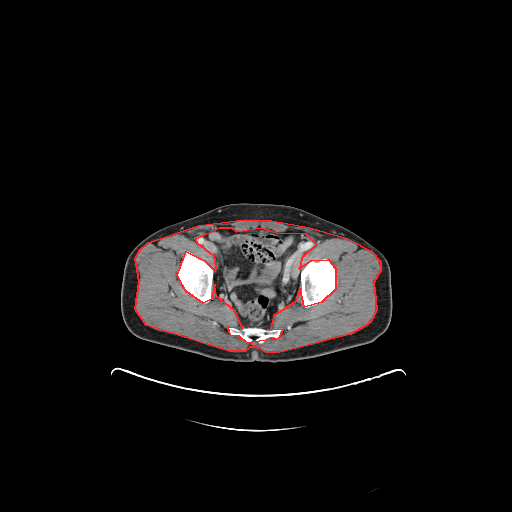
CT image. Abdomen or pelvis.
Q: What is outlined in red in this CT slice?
A: red: muscle.
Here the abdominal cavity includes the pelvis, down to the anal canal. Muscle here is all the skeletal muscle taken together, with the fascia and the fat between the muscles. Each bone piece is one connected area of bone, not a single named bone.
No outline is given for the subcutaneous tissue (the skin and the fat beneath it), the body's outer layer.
{"muscle":[{"outer":[[244,219],[271,220],[309,227],[347,238],[370,250],[380,261],[380,271],[373,282],[376,309],[370,322],[350,334],[279,352],[265,352],[256,347],[250,347],[244,351],[229,351],[146,325],[135,309],[139,281],[135,258],[139,250],[148,242],[198,225]],"hole":[[219,227],[231,227],[236,231],[261,227],[276,232],[305,233],[316,244],[301,258],[299,268],[311,260],[328,259],[335,268],[335,289],[321,302],[304,307],[300,288],[295,301],[273,316],[270,328],[282,329],[278,338],[247,343],[239,336],[230,335],[228,326],[242,327],[234,310],[216,296],[214,284],[211,299],[203,303],[186,291],[177,275],[186,251],[204,260],[214,270],[216,268],[214,256],[197,243],[196,238]]}],"torso":[[[233,203],[283,204],[297,207],[349,229],[381,251],[386,257],[391,271],[392,315],[388,328],[374,341],[364,345],[307,359],[277,362],[240,362],[213,359],[146,341],[133,335],[124,324],[120,309],[123,269],[131,250],[148,235],[165,226],[215,207]]],"abdominal_cavity":[[[219,227],[231,227],[236,231],[257,227],[276,232],[295,230],[305,233],[316,241],[316,244],[299,262],[301,269],[299,289],[295,301],[273,316],[270,328],[240,326],[234,310],[216,296],[213,283],[216,260],[207,248],[196,242],[196,238],[205,231]]],"bones":[[[322,258],[328,259],[333,264],[335,268],[335,272],[337,277],[337,285],[335,289],[324,300],[317,304],[312,305],[309,307],[304,307],[302,306],[301,304],[301,289],[300,288],[300,274],[301,273],[301,270],[308,263],[308,262],[311,260],[318,261]],[[186,251],[189,251],[193,253],[198,258],[202,260],[204,260],[213,269],[213,281],[212,282],[212,287],[211,288],[211,299],[206,303],[203,303],[195,299],[191,295],[190,295],[186,291],[178,279],[177,270],[178,269],[180,261],[184,253]],[[228,326],[236,327],[237,328],[242,328],[243,327],[258,327],[264,329],[273,329],[274,328],[281,328],[282,329],[278,338],[268,337],[265,339],[262,343],[259,343],[254,340],[251,342],[247,343],[239,336],[236,335],[232,336],[230,335],[227,329]]]}